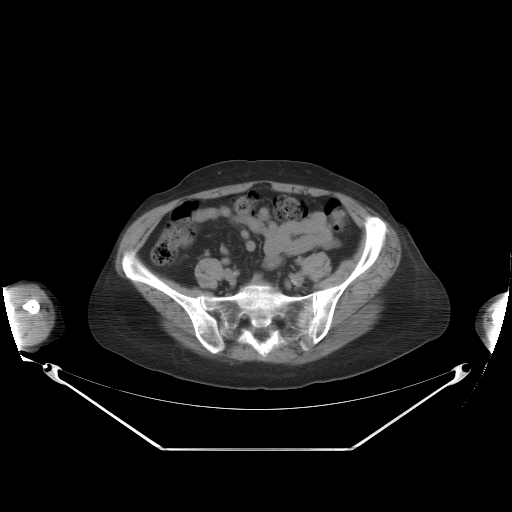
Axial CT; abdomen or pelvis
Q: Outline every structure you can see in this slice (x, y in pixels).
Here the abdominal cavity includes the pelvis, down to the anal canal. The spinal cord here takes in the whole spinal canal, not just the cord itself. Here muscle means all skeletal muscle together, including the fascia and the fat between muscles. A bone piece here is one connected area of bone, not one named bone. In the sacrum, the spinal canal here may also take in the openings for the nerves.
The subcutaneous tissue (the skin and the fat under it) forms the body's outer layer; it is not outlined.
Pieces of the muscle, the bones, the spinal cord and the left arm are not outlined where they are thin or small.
A: {"spinal_cord":[[[258,329],[267,329],[267,330],[268,331],[268,336],[264,340],[259,340],[254,335],[254,333],[253,332],[255,330],[257,330]]],"muscle":[{"outer":[[260,179],[268,179],[269,180],[272,180],[277,182],[283,182],[284,183],[294,183],[295,184],[317,187],[322,189],[326,189],[327,190],[337,191],[344,193],[357,200],[362,204],[370,207],[383,217],[396,231],[401,244],[402,253],[401,254],[401,258],[399,265],[394,274],[381,289],[379,293],[379,295],[383,299],[383,306],[384,307],[380,313],[379,319],[373,327],[370,330],[362,334],[357,338],[350,341],[342,347],[333,351],[326,356],[300,365],[291,366],[282,363],[270,363],[263,361],[243,361],[242,362],[236,362],[231,364],[226,361],[222,361],[218,359],[213,359],[202,356],[192,351],[190,349],[180,345],[180,344],[170,336],[160,325],[160,314],[156,311],[142,296],[136,288],[127,279],[122,278],[117,273],[115,269],[115,258],[123,234],[127,228],[138,217],[145,212],[156,206],[164,204],[169,201],[171,201],[176,198],[185,195],[188,195],[192,193],[199,192],[207,189],[211,189],[215,187],[219,187],[230,184],[235,184],[236,183],[241,183],[242,182],[247,182],[253,180],[259,180]],"hole":[[256,184],[335,196],[361,229],[333,271],[324,251],[301,259],[314,291],[351,273],[366,216],[385,223],[385,240],[309,350],[297,337],[264,356],[224,335],[224,349],[212,353],[177,302],[125,275],[122,256],[135,250],[141,261],[150,234],[180,202]]},{"outer":[[22,283],[25,284],[26,283],[33,283],[38,285],[45,292],[50,299],[53,305],[55,313],[54,325],[50,331],[49,335],[40,343],[35,345],[30,345],[23,347],[22,347],[21,337],[15,319],[14,309],[6,289]],"hole":[[32,298],[35,299],[38,302],[38,303],[39,304],[39,310],[38,311],[38,312],[37,312],[34,314],[33,313],[32,313],[31,312],[26,310],[24,308],[23,308],[23,306],[22,305],[23,304],[23,303],[24,303],[28,299],[31,299]]},[[202,258],[217,259],[220,262],[223,269],[222,278],[217,282],[216,287],[208,289],[213,295],[200,294],[197,296],[191,296],[184,294],[170,286],[153,272],[162,276],[165,276],[188,288],[198,287],[199,284],[195,277],[194,269],[196,264]],[[502,295],[503,295],[503,297],[502,298],[502,301],[501,303],[494,310],[493,327],[489,332],[489,339],[489,338],[486,335],[485,335],[484,333],[484,330],[482,326],[482,316],[485,312],[486,309],[492,303],[492,302],[493,302],[498,297],[500,297]]],"abdominal_cavity":[[[256,184],[335,196],[361,229],[355,251],[333,271],[324,251],[301,259],[313,291],[289,295],[268,282],[249,282],[233,294],[214,295],[209,289],[224,275],[217,258],[199,259],[193,269],[198,286],[188,287],[151,270],[140,257],[163,216],[180,202]]],"left_arm":[[[500,292],[501,292],[503,294],[504,293],[504,294],[503,295],[501,303],[494,310],[493,327],[489,332],[489,340],[490,342],[489,343],[489,349],[488,349],[484,346],[475,331],[475,329],[474,328],[474,319],[475,318],[476,313],[479,307],[488,298]]],"torso":[[[229,159],[290,159],[312,162],[347,177],[378,195],[391,213],[406,225],[425,261],[449,295],[451,318],[445,332],[364,373],[280,390],[231,389],[183,380],[142,367],[99,345],[91,335],[87,323],[88,298],[124,223],[149,195],[174,186],[197,168]]],"bones":[{"outer":[[368,215],[386,225],[381,250],[344,289],[327,333],[309,350],[297,337],[264,356],[224,335],[224,349],[212,353],[177,302],[129,279],[121,264],[123,254],[135,250],[157,277],[191,297],[233,295],[249,283],[302,296],[348,277],[363,252]],"hole":[[258,329],[267,329],[267,330],[268,331],[268,336],[264,340],[259,340],[254,335],[254,333],[253,332],[255,330],[257,330]]},[[32,298],[35,299],[38,302],[38,303],[39,304],[39,310],[38,311],[38,312],[37,312],[34,314],[33,313],[32,313],[31,312],[26,310],[24,308],[23,308],[23,306],[22,305],[23,304],[23,303],[24,303],[28,299],[31,299]]],"right_arm":[[[20,279],[36,279],[45,284],[56,296],[59,302],[62,316],[65,323],[65,331],[62,336],[52,341],[49,344],[42,347],[35,352],[27,352],[22,350],[21,337],[17,327],[14,309],[6,289],[9,288],[8,285],[10,283]]]}